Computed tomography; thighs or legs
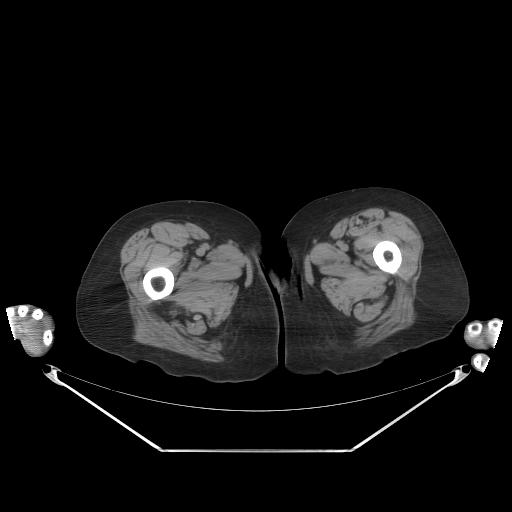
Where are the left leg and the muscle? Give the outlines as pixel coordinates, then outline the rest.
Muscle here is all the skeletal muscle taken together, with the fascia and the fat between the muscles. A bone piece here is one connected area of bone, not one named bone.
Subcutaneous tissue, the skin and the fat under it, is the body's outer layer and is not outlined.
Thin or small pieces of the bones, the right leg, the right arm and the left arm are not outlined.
{"left_leg":[[[364,186],[386,186],[406,191],[424,201],[436,213],[468,279],[468,312],[448,336],[401,352],[375,366],[344,374],[329,371],[317,375],[290,373],[284,367],[284,336],[276,270],[287,275],[291,262],[280,242],[281,233],[291,217],[308,202],[338,191]]],"muscle":[{"outer":[[162,220],[172,220],[175,222],[189,221],[224,236],[234,241],[251,261],[251,280],[239,292],[227,321],[222,340],[223,353],[226,359],[223,362],[200,360],[145,345],[132,338],[133,321],[129,312],[128,295],[119,274],[120,250],[125,241],[135,231]],"hole":[[156,266],[165,266],[167,267],[172,272],[173,274],[173,276],[174,277],[174,284],[173,285],[173,289],[172,291],[167,296],[161,299],[152,300],[144,291],[144,289],[142,285],[142,281],[143,280],[143,277],[145,273],[149,269],[153,267],[155,267]]},{"outer":[[370,207],[383,207],[406,215],[421,234],[424,247],[421,257],[421,273],[416,284],[413,304],[417,318],[411,326],[405,329],[370,346],[356,348],[352,343],[355,327],[351,322],[330,310],[318,292],[306,282],[303,263],[304,256],[315,239],[343,217]],"hole":[[381,240],[390,240],[391,241],[393,241],[399,247],[400,249],[400,251],[401,252],[401,263],[397,270],[397,272],[394,274],[391,274],[388,272],[385,272],[381,269],[380,269],[377,266],[373,259],[373,256],[372,255],[373,249],[375,245],[379,241]]},[[29,308],[32,309],[30,316],[34,320],[40,320],[45,314],[50,319],[52,325],[52,330],[46,328],[42,332],[42,343],[46,348],[40,352],[31,352],[25,338],[20,333],[16,332],[14,317],[15,310],[17,309],[18,315],[23,318],[29,312]],[[485,325],[487,326],[488,325],[488,327],[489,328],[492,330],[495,330],[494,332],[494,336],[490,344],[483,343],[480,345],[478,345],[472,342],[470,342],[468,340],[468,338],[466,335],[467,332],[468,332],[471,335],[476,335],[482,331],[483,326]]],"bones":[[[156,266],[165,266],[167,267],[172,272],[173,274],[173,276],[174,277],[174,284],[173,285],[173,289],[172,291],[167,296],[161,299],[152,300],[144,291],[144,289],[142,285],[142,281],[143,280],[143,277],[145,273],[149,269],[153,267],[155,267]],[[381,240],[390,240],[391,241],[393,241],[399,247],[400,249],[400,251],[401,252],[401,263],[397,270],[397,272],[394,274],[391,274],[388,272],[385,272],[381,269],[380,269],[377,266],[373,259],[373,256],[372,255],[373,249],[375,245],[379,241]],[[471,323],[480,323],[482,325],[482,329],[481,330],[481,331],[480,332],[479,332],[478,333],[477,333],[476,334],[471,334],[467,330],[467,328],[468,327],[468,325],[469,324],[470,324]],[[493,319],[498,319],[499,320],[500,320],[501,321],[501,324],[500,325],[500,329],[498,329],[497,330],[496,330],[495,329],[492,329],[490,327],[489,327],[489,325],[488,324],[487,325],[487,324],[488,323],[488,322],[490,320],[492,320]],[[20,305],[26,305],[27,306],[28,306],[28,312],[23,317],[21,317],[19,315],[19,314],[18,313],[18,312],[17,311],[18,310],[18,309],[17,308],[16,308],[15,309],[15,308],[16,308],[18,306],[19,306]],[[36,308],[39,308],[42,311],[42,312],[43,313],[43,315],[42,316],[42,317],[40,319],[38,319],[37,320],[36,319],[34,319],[31,316],[31,313],[32,312],[32,311],[34,309],[35,309]]],"right_arm":[[[17,304],[19,305],[33,304],[39,308],[47,310],[52,315],[56,327],[54,333],[54,343],[52,348],[44,355],[38,357],[29,356],[25,352],[22,344],[16,338],[17,337],[16,334],[18,333],[16,332],[16,323],[14,316],[15,315],[15,305]]],"left_arm":[[[494,317],[496,317],[500,320],[501,321],[501,324],[500,325],[500,329],[498,329],[494,332],[494,336],[491,342],[491,343],[493,344],[493,346],[488,350],[477,350],[468,346],[465,343],[463,339],[463,330],[466,324],[473,319],[490,319]],[[473,354],[475,354],[476,355],[477,354],[481,354],[482,355],[484,355],[485,356],[486,356],[488,358],[483,364],[483,365],[480,369],[477,368],[474,365],[472,368],[471,367],[471,365],[470,364],[470,363],[471,362],[471,355],[472,355]]],"right_leg":[[[176,199],[228,205],[247,215],[260,229],[263,236],[261,258],[275,269],[277,294],[272,286],[271,289],[280,315],[278,365],[273,373],[234,383],[175,376],[149,362],[131,362],[106,352],[81,335],[75,319],[76,291],[104,233],[119,217],[134,208]]]}